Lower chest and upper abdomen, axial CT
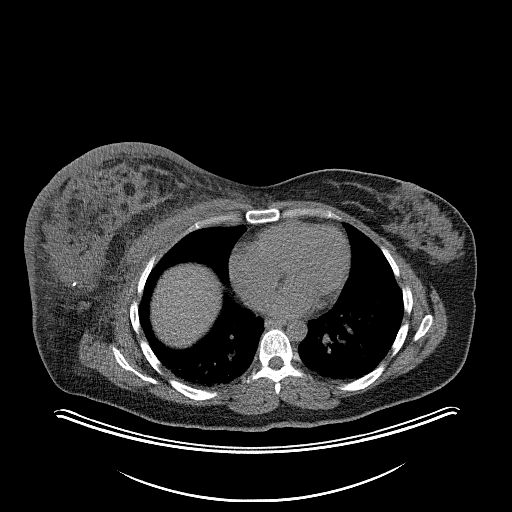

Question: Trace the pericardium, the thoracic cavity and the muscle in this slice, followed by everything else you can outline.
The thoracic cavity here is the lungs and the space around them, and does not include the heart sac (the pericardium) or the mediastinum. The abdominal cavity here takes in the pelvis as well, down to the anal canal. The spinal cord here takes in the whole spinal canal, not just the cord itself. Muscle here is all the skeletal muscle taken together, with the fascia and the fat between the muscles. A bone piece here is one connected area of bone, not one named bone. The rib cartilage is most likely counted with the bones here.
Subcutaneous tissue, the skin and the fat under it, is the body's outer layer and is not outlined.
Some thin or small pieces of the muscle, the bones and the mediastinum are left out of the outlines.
Answer: Outlines (x, y in pixels):
pericardium: 292 218; 301 218; 313 221; 331 220; 337 222; 341 225; 347 235; 351 251; 349 277; 337 301; 329 309; 317 317; 308 319; 301 317; 275 317; 256 313; 244 305; 236 296; 232 289; 229 276; 230 256; 236 244; 244 236; 260 226
thoracic cavity 1: 344 222; 347 222; 355 227; 380 249; 401 290; 403 306; 401 324; 397 330; 390 349; 372 370; 349 381; 325 377; 310 370; 303 364; 297 351; 299 344; 308 333; 308 322; 319 318; 335 305; 350 277; 352 251; 347 232; 343 226
thoracic cavity 2: 237 225; 243 225; 245 230; 236 240; 230 252; 228 260; 228 290; 234 302; 247 308; 256 317; 263 320; 263 331; 251 364; 240 376; 211 390; 193 387; 178 380; 162 364; 151 348; 141 328; 139 302; 152 269; 178 240; 202 228, around a hole outlined by 187 262; 203 264; 210 268; 219 278; 221 283; 225 286; 226 290; 223 294; 221 309; 211 329; 203 337; 191 346; 183 349; 174 349; 171 347; 166 346; 154 334; 149 316; 150 315; 150 300; 158 278; 161 274; 168 268
muscle: 215 198; 245 202; 254 208; 246 210; 242 217; 229 212; 192 223; 158 260; 155 254; 148 259; 136 285; 139 301; 134 298; 128 308; 133 331; 138 336; 141 329; 145 337; 138 341; 144 357; 160 375; 162 365; 165 367; 177 379; 168 378; 167 382; 184 396; 196 401; 212 399; 219 394; 214 389; 239 377; 247 384; 259 378; 270 379; 278 394; 280 382; 288 376; 312 378; 303 366; 322 377; 342 381; 336 386; 341 391; 361 390; 382 374; 386 363; 381 361; 390 350; 394 357; 406 339; 409 321; 402 320; 404 312; 409 315; 412 311; 413 294; 407 284; 400 287; 398 284; 400 269; 390 251; 330 209; 309 206; 280 210; 267 207; 274 201; 304 200; 333 206; 387 239; 409 263; 426 293; 433 287; 442 300; 448 321; 444 337; 414 368; 364 392; 344 397; 329 409; 301 408; 282 401; 265 413; 241 414; 222 404; 186 405; 119 387; 85 367; 79 361; 78 346; 86 329; 105 343; 114 341; 113 315; 133 240; 156 222 with holes at 113 347; 116 347; 119 350; 127 362; 134 369; 145 376; 150 376; 152 377; 157 381; 157 383; 152 383; 149 381; 144 380; 135 374; 132 371; 130 370; 127 370; 122 367; 116 361; 115 356; 112 350; 112 348 and at 426 314; 431 314; 432 315; 433 317; 433 319; 432 320; 432 323; 430 327; 428 329; 428 330; 425 333; 425 334; 421 337; 420 337; 417 340; 414 341; 413 340; 413 337; 416 331; 418 329; 419 327; 419 325; 423 317
bones 1: 270 329; 279 329; 287 336; 292 348; 298 353; 303 369; 311 376; 311 378; 302 378; 292 375; 284 377; 279 382; 280 389; 278 393; 275 392; 275 383; 270 378; 259 377; 250 383; 243 382; 240 378; 252 364; 258 351; 262 335 with a hole at 273 357; 279 357; 282 360; 282 365; 279 368; 277 368; 276 369; 275 368; 272 368; 269 365; 269 361; 270 360; 270 359; 271 358; 272 358
bones 2: 309 207; 330 210; 340 216; 342 220; 318 216; 296 216; 280 218; 270 222; 249 223; 243 219; 235 224; 224 222; 195 229; 180 238; 184 231; 196 221; 212 216; 234 213; 242 218; 246 211; 252 209; 277 208; 282 211; 291 208
bones 3: 381 362; 385 363; 385 368; 384 370; 373 382; 372 382; 367 386; 361 389; 358 389; 357 390; 341 390; 337 387; 337 386; 340 383; 343 383; 344 382; 349 382; 350 381; 352 381; 355 379; 357 379; 369 373; 371 371; 372 371
bones 4: 168 379; 175 379; 188 386; 190 386; 193 388; 196 388; 197 389; 203 389; 204 390; 210 390; 211 391; 212 390; 215 390; 218 392; 218 394; 216 396; 209 399; 204 399; 203 400; 196 400; 195 399; 192 399; 176 390; 168 382
bones 5: 113 347; 116 347; 119 350; 127 362; 134 369; 145 376; 150 376; 152 377; 157 381; 157 383; 152 383; 149 381; 144 380; 135 374; 132 371; 130 370; 127 370; 122 367; 116 361; 115 356; 112 350; 112 348
bones 6: 140 339; 145 339; 147 341; 150 348; 152 350; 154 354; 157 357; 157 358; 160 361; 161 363; 161 366; 160 367; 162 371; 162 373; 161 374; 158 373; 152 367; 152 366; 149 363; 149 362; 145 357; 140 347; 140 343; 139 342
bones 7: 405 321; 408 321; 408 330; 407 331; 407 334; 405 337; 405 339; 401 347; 399 349; 397 353; 394 356; 392 357; 391 356; 391 346; 396 337; 396 335; 398 332; 398 330; 400 326; 402 324; 402 323; 403 323
bones 8: 153 255; 155 255; 156 256; 156 260; 157 261; 148 274; 148 276; 145 281; 145 283; 144 284; 144 286; 143 287; 142 293; 141 294; 140 298; 137 294; 137 285; 138 284; 138 281; 140 278; 141 273; 143 271; 149 259
bones 9: 134 299; 135 299; 138 302; 138 317; 139 318; 139 323; 140 324; 140 331; 138 335; 134 331; 132 327; 132 324; 131 323; 131 321; 130 320; 130 316; 129 315; 129 308; 130 307; 130 305; 132 301
bones 10: 426 314; 431 314; 432 315; 433 317; 433 319; 432 320; 432 323; 430 327; 428 329; 428 330; 425 333; 425 334; 421 337; 420 337; 417 340; 414 341; 413 340; 413 337; 416 331; 418 329; 419 327; 419 325; 423 317
bones 11: 404 285; 407 285; 410 288; 410 290; 411 291; 411 293; 412 294; 412 306; 411 307; 411 311; 410 312; 410 313; 409 314; 407 314; 404 311; 404 306; 403 305; 403 296; 402 295; 402 290; 401 289; 401 287; 402 286; 403 286
bones 12: 379 245; 383 245; 389 251; 390 254; 392 256; 393 259; 398 266; 398 268; 399 269; 399 276; 397 278; 395 277; 394 275; 394 273; 392 270; 392 268; 390 264; 388 262; 387 259; 385 257; 384 254; 382 252; 381 249; 379 247
abdominal cavity: 187 262; 203 264; 210 268; 219 278; 221 283; 225 286; 226 290; 223 294; 221 309; 211 329; 203 337; 191 346; 183 349; 174 349; 171 347; 166 346; 154 334; 149 316; 150 315; 150 300; 158 278; 161 274; 168 268
spinal cord: 273 357; 279 357; 282 360; 282 365; 279 368; 277 368; 276 369; 275 368; 272 368; 269 365; 269 361; 270 360; 270 359; 271 358; 272 358
mediastinum 1: 252 311; 256 314; 264 316; 270 316; 275 318; 284 318; 285 319; 301 318; 304 320; 312 318; 317 318; 310 319; 309 320; 307 322; 307 333; 305 337; 298 344; 296 350; 293 348; 288 336; 281 329; 270 328; 263 333; 264 320; 260 316; 256 316
mediastinum 2: 243 221; 249 224; 263 224; 264 223; 269 223; 266 223; 254 228; 251 231; 244 235; 243 237; 236 243; 237 240; 246 230; 246 227; 243 224; 236 225; 229 225; 228 226; 218 225; 224 223; 231 223; 232 224; 235 225; 236 224; 239 224
mediastinum 3: 230 283; 230 285; 231 286; 231 289; 233 291; 235 296; 239 300; 239 301; 241 302; 241 303; 243 304; 243 305; 246 307; 244 307; 240 305; 235 301; 234 301; 232 297; 232 295; 230 293; 230 291; 229 290; 230 288
torso: 128 141; 166 147; 208 171; 250 185; 343 168; 412 182; 447 200; 469 224; 477 259; 475 318; 459 372; 429 394; 354 420; 253 432; 159 424; 60 389; 42 362; 32 331; 23 252; 26 218; 34 199; 58 170; 98 146